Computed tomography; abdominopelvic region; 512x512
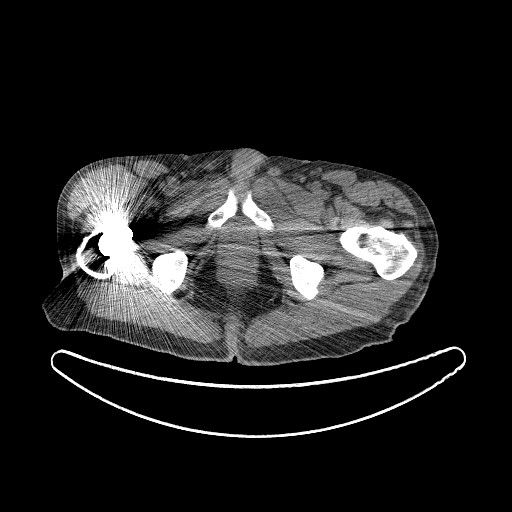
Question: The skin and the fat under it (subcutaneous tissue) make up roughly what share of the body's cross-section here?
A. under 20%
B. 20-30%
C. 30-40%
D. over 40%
Answer: B. 20-30%
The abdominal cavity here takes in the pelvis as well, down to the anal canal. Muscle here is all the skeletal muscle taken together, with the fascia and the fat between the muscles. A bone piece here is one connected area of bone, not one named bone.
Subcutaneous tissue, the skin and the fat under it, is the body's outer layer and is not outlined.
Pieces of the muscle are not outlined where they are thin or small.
The bones appear in 6 outlined pieces: piece 1: (371, 225) (381, 225) (383, 227) (393, 230) (397, 233) (400, 232) (403, 233) (416, 248) (417, 256) (413, 265) (401, 276) (391, 280) (384, 279) (376, 272) (373, 265) (370, 262) (358, 258) (346, 251) (341, 246) (338, 240) (338, 237) (345, 228) (350, 226) (370, 226); piece 2: (115, 222) (122, 222) (131, 229) (132, 238) (134, 243) (128, 251) (128, 253) (124, 258) (116, 274) (113, 274) (107, 279) (103, 280) (97, 279) (87, 274) (80, 267) (76, 265) (76, 258) (75, 257) (76, 248) (83, 237) (89, 234) (92, 230) (109, 224) (112, 224); piece 3: (180, 248) (182, 249) (188, 256) (188, 264) (186, 269) (186, 273) (184, 279) (180, 286) (172, 293) (172, 295) (168, 295) (159, 287) (153, 278) (153, 275) (151, 272) (151, 263) (154, 257) (157, 254) (159, 253) (163, 253) (164, 252) (169, 252) (172, 250) (175, 250); piece 4: (295, 254) (300, 254) (307, 259) (309, 259) (314, 262) (319, 263) (323, 267) (323, 269) (324, 270) (323, 278) (317, 286) (317, 289) (318, 290) (317, 294) (312, 299) (305, 299) (303, 298) (302, 296) (296, 291) (292, 284) (290, 271) (289, 270) (289, 259); piece 5: (230, 188) (233, 188) (234, 190) (234, 194) (237, 198) (238, 208) (236, 211) (236, 213) (233, 216) (228, 218) (219, 228) (215, 228) (210, 231) (206, 230) (204, 226) (205, 225) (205, 222) (208, 215) (225, 201) (228, 194) (228, 190); piece 6: (249, 190) (251, 191) (251, 196) (252, 197) (252, 199) (260, 208) (265, 211) (269, 215) (274, 225) (274, 230) (273, 231) (268, 231) (260, 227) (257, 227) (252, 221) (252, 220) (249, 217) (246, 216) (241, 211) (241, 203) (246, 196) (246, 193) (247, 191). The abdominal cavity is outlined by (231, 220) (243, 220) (253, 224) (257, 238) (256, 264) (255, 265) (255, 271) (254, 272) (254, 279) (250, 285) (236, 291) (234, 290) (233, 287) (225, 284) (222, 281) (220, 278) (220, 272) (218, 269) (218, 243) (220, 237) (220, 230) (224, 225) (228, 223). The torso is outlined by (239, 147) (381, 171) (418, 193) (438, 234) (435, 273) (419, 308) (396, 328) (391, 341) (342, 357) (250, 366) (238, 363) (235, 357) (229, 362) (185, 359) (87, 331) (60, 330) (48, 322) (41, 304) (63, 274) (56, 239) (56, 205) (73, 173) (111, 156) (193, 154). The muscle is outlined by (138, 160) (154, 160) (183, 175) (221, 174) (244, 182) (266, 176) (305, 183) (336, 169) (384, 178) (416, 209) (424, 246) (423, 267) (410, 291) (378, 323) (284, 344) (257, 346) (247, 343) (243, 334) (256, 315) (280, 303) (280, 285) (264, 255) (259, 257) (255, 286) (239, 295) (228, 294) (216, 279) (211, 259) (194, 277) (194, 303) (223, 314) (218, 319) (224, 329) (219, 340) (199, 342) (91, 317) (69, 269) (67, 195) (73, 182) (95, 166), around holes outlined by (230, 188) (234, 190) (238, 208) (222, 227) (231, 220) (254, 223) (241, 211) (241, 203) (249, 190) (252, 199) (274, 225) (273, 231) (254, 226) (257, 238) (254, 279) (250, 285) (236, 291) (220, 278) (218, 243) (221, 228) (208, 231) (204, 227) (208, 215) (225, 201) and by (371, 225) (381, 225) (383, 227) (393, 230) (397, 233) (400, 232) (403, 233) (416, 248) (417, 256) (413, 265) (401, 276) (391, 280) (384, 279) (376, 272) (373, 265) (370, 262) (358, 258) (346, 251) (341, 246) (338, 240) (338, 237) (345, 228) (350, 226) (370, 226) and by (115, 222) (122, 222) (131, 229) (132, 238) (134, 243) (128, 251) (128, 253) (124, 258) (116, 274) (113, 274) (107, 279) (103, 280) (97, 279) (87, 274) (80, 267) (76, 265) (76, 258) (75, 257) (76, 248) (83, 237) (89, 234) (92, 230) (109, 224) (112, 224) and by (180, 248) (182, 249) (188, 256) (188, 264) (186, 269) (186, 273) (184, 279) (180, 286) (172, 293) (172, 295) (168, 295) (159, 287) (153, 278) (153, 275) (151, 272) (151, 263) (154, 257) (157, 254) (159, 253) (163, 253) (164, 252) (169, 252) (172, 250) (175, 250) and by (295, 254) (300, 254) (307, 259) (309, 259) (314, 262) (319, 263) (323, 267) (323, 269) (324, 270) (323, 278) (317, 286) (317, 289) (318, 290) (317, 294) (312, 299) (305, 299) (303, 298) (302, 296) (296, 291) (292, 284) (290, 271) (289, 270) (289, 259).